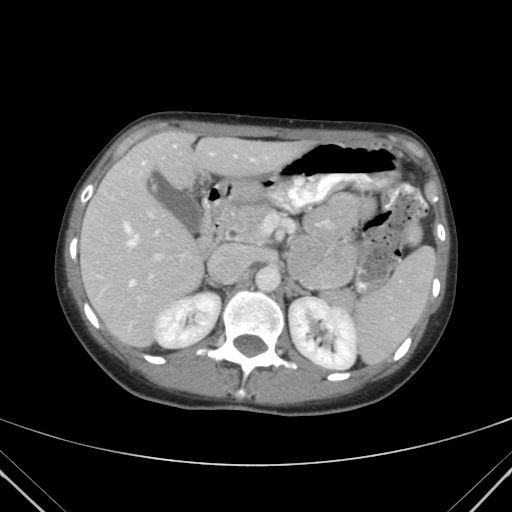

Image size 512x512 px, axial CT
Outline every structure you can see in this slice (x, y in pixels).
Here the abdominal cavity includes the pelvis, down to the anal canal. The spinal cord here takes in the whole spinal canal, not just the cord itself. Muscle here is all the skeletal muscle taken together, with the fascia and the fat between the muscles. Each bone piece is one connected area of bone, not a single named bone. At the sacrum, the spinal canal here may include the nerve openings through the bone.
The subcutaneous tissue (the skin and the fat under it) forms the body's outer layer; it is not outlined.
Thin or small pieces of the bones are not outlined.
{"spinal_cord":[[[250,357],[251,356],[256,355],[264,351],[266,349],[266,346],[265,344],[259,337],[257,336],[255,336],[254,335],[242,335],[241,336],[239,336],[237,337],[234,340],[234,345],[242,353]]],"abdominal_cavity":[[[329,373],[391,357],[431,293],[437,263],[434,215],[425,196],[425,174],[405,150],[373,141],[170,130],[140,140],[110,167],[86,204],[77,256],[86,297],[112,337],[152,354],[191,347],[215,331],[224,305],[237,290],[257,290],[282,308],[294,349]]],"bones":[{"outer":[[236,396],[245,395],[242,385],[256,366],[297,367],[275,351],[277,338],[285,323],[281,308],[269,296],[257,291],[237,291],[222,312],[225,340],[215,349],[200,348],[196,351],[197,355],[205,354],[216,361],[227,360],[241,367],[242,385],[236,391]],"hole":[[250,357],[251,356],[256,355],[264,351],[266,349],[266,346],[265,344],[259,337],[257,336],[255,336],[254,335],[242,335],[241,336],[239,336],[237,337],[234,340],[234,345],[242,353]]},[[113,156],[116,156],[121,154],[130,145],[131,145],[131,144],[134,142],[137,138],[141,136],[144,133],[149,131],[153,131],[154,130],[160,129],[162,127],[165,126],[166,124],[156,124],[155,125],[146,126],[135,131],[118,145],[117,148],[113,153]],[[417,156],[422,156],[422,153],[423,151],[422,149],[421,149],[416,143],[412,142],[411,140],[409,139],[407,140],[406,139],[403,139],[402,138],[398,138],[390,134],[388,134],[387,135],[387,137],[388,138],[399,141],[401,143],[405,145],[415,155]],[[394,361],[396,361],[397,360],[398,360],[401,357],[402,357],[405,354],[405,353],[409,348],[409,346],[411,343],[411,337],[410,336],[408,336],[404,340],[404,341],[398,347],[398,348],[394,353],[394,354],[392,357],[392,359]],[[96,328],[99,328],[100,327],[100,324],[97,319],[97,317],[95,315],[95,314],[94,313],[93,310],[89,305],[88,302],[84,302],[84,303],[83,304],[83,309],[84,310],[84,312],[85,313],[85,314],[86,315],[86,316],[87,317],[88,320]],[[82,204],[84,204],[86,203],[89,199],[89,198],[91,197],[91,195],[93,193],[93,191],[95,187],[94,185],[91,183],[89,183],[87,184],[85,186],[85,187],[83,189],[81,193],[81,195],[80,196],[80,201]]],"torso":[[[282,417],[323,416],[375,404],[402,386],[437,345],[452,313],[458,271],[456,224],[438,162],[421,136],[389,122],[199,110],[160,110],[141,115],[122,127],[95,155],[75,183],[64,208],[53,274],[65,319],[96,364],[137,397],[186,410],[243,410]]],"muscle":[{"outer":[[273,406],[297,405],[311,400],[321,400],[322,399],[330,399],[331,398],[340,397],[362,388],[367,383],[376,381],[394,373],[402,367],[411,357],[417,345],[422,338],[432,315],[436,312],[443,301],[446,287],[446,277],[447,276],[449,255],[450,254],[450,246],[451,245],[450,232],[445,212],[443,193],[440,181],[433,163],[426,150],[417,140],[409,135],[399,132],[380,132],[371,130],[316,129],[315,128],[286,128],[285,127],[277,127],[276,126],[228,124],[227,123],[218,123],[217,122],[188,120],[187,119],[177,119],[176,118],[149,119],[140,122],[124,132],[104,153],[79,189],[73,203],[73,207],[69,217],[68,227],[66,230],[64,249],[63,250],[63,259],[64,260],[64,269],[67,279],[67,286],[70,290],[72,297],[77,306],[80,317],[83,321],[87,331],[98,344],[109,353],[112,354],[129,367],[132,368],[134,371],[136,371],[149,382],[153,383],[159,387],[168,387],[169,388],[180,389],[184,392],[201,395],[205,398],[234,399],[238,401],[245,401],[256,404],[272,405]],"holes":[[[236,396],[256,366],[297,367],[275,351],[284,327],[294,349],[333,381],[405,354],[440,286],[436,189],[405,150],[170,130],[140,140],[95,187],[85,186],[69,252],[78,257],[88,320],[154,364],[200,343],[222,320],[225,340],[196,354],[241,367]],[[113,156],[116,156],[121,154],[130,145],[131,145],[131,144],[134,142],[137,138],[141,136],[144,133],[149,131],[153,131],[154,130],[160,129],[162,127],[165,126],[166,124],[156,124],[155,125],[146,126],[135,131],[118,145],[117,148],[113,153]],[[417,156],[422,156],[422,153],[423,151],[422,149],[421,149],[416,143],[412,142],[411,140],[409,139],[407,140],[406,139],[403,139],[402,138],[398,138],[390,134],[388,134],[387,135],[387,137],[388,138],[399,141],[401,143],[405,145],[415,155]],[[442,241],[443,241],[445,239],[445,231],[444,230],[444,228],[443,227],[443,226],[442,225],[442,224],[441,223],[437,223],[436,224],[436,233],[437,234],[437,236],[439,238],[439,239],[440,240],[441,240]]]}]}